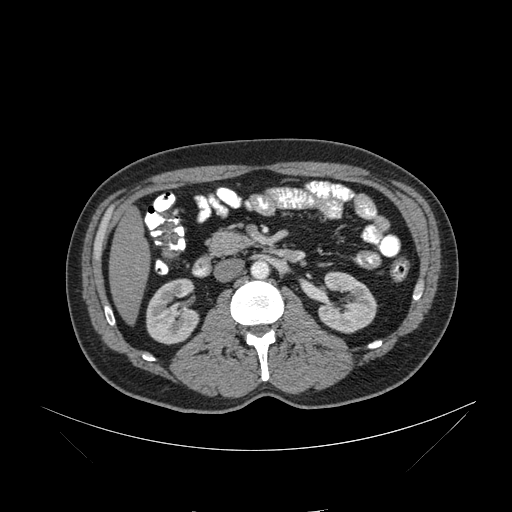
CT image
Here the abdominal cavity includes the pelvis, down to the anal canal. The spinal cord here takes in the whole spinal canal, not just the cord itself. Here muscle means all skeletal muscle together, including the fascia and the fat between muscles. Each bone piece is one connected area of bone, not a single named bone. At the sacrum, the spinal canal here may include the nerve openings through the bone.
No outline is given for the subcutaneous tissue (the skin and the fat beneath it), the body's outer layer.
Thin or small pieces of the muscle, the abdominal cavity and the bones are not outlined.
Outlines (x, y in pixels):
torso: (206, 414) (237, 410) (263, 396) (304, 409) (336, 407) (380, 395) (421, 367) (450, 321) (459, 266) (448, 216) (420, 179) (355, 145) (314, 138) (257, 138) (162, 150) (122, 167) (95, 189) (75, 223) (65, 263) (67, 306) (77, 342) (98, 375) (122, 393) (175, 411)
abdominal cavity: (162, 359) (169, 359) (199, 331) (222, 290) (229, 288) (232, 294) (251, 279) (289, 287) (322, 328) (351, 347) (387, 335) (405, 316) (419, 271) (415, 245) (399, 210) (381, 192) (363, 184) (269, 170) (187, 183) (132, 202) (113, 226) (103, 251) (106, 294) (124, 338)
muscle: (225, 398) (242, 396) (262, 382) (255, 349) (244, 342) (242, 327) (230, 316) (231, 291) (220, 293) (200, 331) (169, 360) (145, 361) (140, 355) (146, 351) (131, 346) (117, 326) (105, 320) (103, 305) (108, 301) (101, 256) (92, 259) (93, 239) (105, 209) (115, 206) (103, 250) (128, 204) (187, 182) (269, 169) (356, 181) (386, 195) (400, 210) (416, 245) (422, 297) (411, 300) (406, 316) (380, 347) (368, 350) (366, 345) (351, 348) (322, 329) (299, 297) (282, 287) (285, 307) (275, 323) (277, 340) (268, 350) (268, 381) (282, 391) (306, 395) (384, 355) (430, 308) (441, 249) (437, 221) (423, 196) (357, 166) (288, 161) (166, 171) (116, 190) (98, 205) (81, 256) (82, 294) (94, 329) (134, 366) (201, 394)
spinal cord: (257, 336) (261, 336) (264, 333) (265, 333) (269, 329) (269, 325) (267, 325) (266, 324) (259, 324) (258, 325) (254, 325) (253, 326) (250, 326) (248, 328) (249, 329) (249, 330) (250, 331) (250, 332) (251, 332) (252, 333) (253, 333) (255, 335) (256, 335)
bones 1: (262, 381) (267, 381) (269, 378) (267, 366) (267, 350) (269, 345) (276, 340) (274, 323) (283, 312) (284, 302) (279, 289) (275, 286) (266, 281) (251, 280) (246, 281) (233, 293) (229, 306) (231, 316) (243, 327) (242, 333) (245, 342) (256, 349) (260, 362) (260, 377); inner edge: (257, 336) (261, 336) (264, 333) (265, 333) (269, 329) (269, 325) (267, 325) (266, 324) (259, 324) (258, 325) (254, 325) (253, 326) (250, 326) (248, 328) (249, 329) (249, 330) (250, 331) (250, 332) (251, 332) (252, 333) (253, 333) (255, 335) (256, 335)
bones 2: (94, 260) (98, 260) (100, 258) (101, 252) (102, 251) (102, 242) (105, 237) (105, 232) (106, 231) (107, 224) (111, 217) (111, 214) (114, 206) (113, 204) (111, 204) (106, 209) (101, 219) (98, 229) (96, 232) (96, 235) (94, 239) (94, 244) (93, 245) (93, 259)
bones 3: (414, 300) (418, 300) (421, 297) (421, 295) (422, 294) (422, 292) (423, 291) (423, 280) (422, 279) (419, 279) (417, 281) (417, 282) (416, 283) (416, 284) (415, 285) (415, 286) (414, 287) (414, 289) (413, 290) (413, 293) (412, 294) (412, 298)
bones 4: (111, 326) (113, 326) (114, 325) (115, 325) (115, 318) (114, 317) (114, 315) (113, 314) (113, 311) (112, 310) (111, 307) (109, 305) (109, 304) (106, 304) (105, 305) (104, 305) (104, 312) (105, 313) (105, 316) (106, 317) (106, 320) (107, 321) (107, 322)
bones 5: (368, 349) (372, 349) (373, 348) (376, 348) (377, 347) (380, 346) (382, 344) (382, 339) (381, 339) (380, 338) (379, 339) (377, 339) (376, 340) (374, 340) (373, 341) (370, 342) (368, 344) (367, 344) (366, 347)